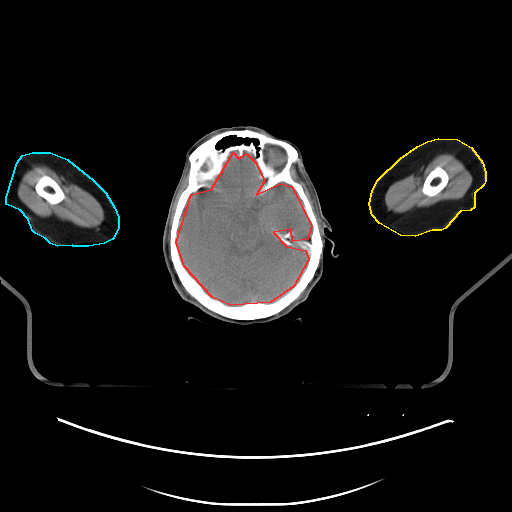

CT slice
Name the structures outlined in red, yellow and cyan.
red: brain; yellow: left arm; cyan: right arm.
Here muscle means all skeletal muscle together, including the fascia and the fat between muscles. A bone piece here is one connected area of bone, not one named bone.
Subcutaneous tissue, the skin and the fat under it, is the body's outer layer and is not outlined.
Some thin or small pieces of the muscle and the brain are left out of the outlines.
{"brain":[[[233,152],[238,158],[246,153],[255,162],[264,181],[256,194],[280,183],[291,186],[311,225],[307,239],[292,241],[291,229],[273,232],[286,246],[305,250],[308,259],[293,286],[270,302],[230,305],[212,297],[184,266],[176,242],[191,194],[211,189]]],"left_arm":[[[438,138],[457,139],[471,147],[482,162],[485,172],[485,181],[483,185],[474,193],[474,207],[470,210],[460,211],[445,228],[441,230],[432,230],[415,236],[400,235],[379,223],[372,215],[369,204],[372,190],[378,179],[400,158],[417,146],[427,141]]],"right_arm":[[[32,152],[50,152],[67,159],[93,180],[105,192],[114,207],[118,217],[118,228],[112,239],[104,243],[88,246],[73,246],[72,245],[57,246],[50,243],[45,238],[35,233],[32,230],[28,219],[20,210],[6,204],[6,197],[17,162],[22,155]]],"muscle":[{"outer":[[33,165],[45,165],[58,174],[62,175],[68,181],[78,185],[90,193],[96,198],[102,206],[105,215],[104,221],[97,228],[85,228],[77,226],[69,221],[62,220],[54,215],[48,217],[41,217],[35,214],[19,199],[17,195],[17,187],[22,175]],"hole":[[43,175],[47,175],[51,178],[52,178],[59,185],[59,186],[63,191],[65,197],[60,202],[56,204],[51,204],[49,203],[43,197],[39,195],[36,192],[35,190],[35,185],[38,179],[41,176]]},{"outer":[[441,153],[453,154],[470,171],[473,179],[465,195],[462,198],[457,200],[440,201],[428,207],[414,207],[411,210],[404,213],[394,213],[391,211],[388,211],[384,203],[384,196],[388,187],[393,182],[412,173],[416,173],[422,165],[427,164],[436,155]],"hole":[[436,166],[440,166],[446,171],[446,172],[448,175],[448,181],[447,182],[446,185],[443,188],[443,189],[442,190],[441,190],[438,193],[437,193],[433,196],[427,196],[426,195],[425,195],[422,192],[422,187],[423,186],[424,181],[427,177],[428,174]]},[[294,164],[299,164],[301,172],[304,176],[305,180],[308,183],[309,188],[313,195],[313,197],[315,199],[316,205],[318,209],[318,213],[323,223],[321,231],[322,238],[319,225],[315,213],[313,210],[313,207],[306,195],[302,185],[293,178],[292,167]],[[188,162],[187,184],[185,188],[179,194],[176,201],[176,204],[174,208],[174,211],[172,215],[172,218],[169,227],[169,241],[168,244],[168,233],[169,232],[169,222],[170,221],[171,210],[172,209],[173,202],[175,199],[175,196],[185,174],[185,171]]],"bones":[{"outer":[[245,129],[266,134],[295,148],[300,163],[292,165],[291,175],[301,185],[312,207],[323,242],[317,269],[298,297],[281,311],[257,319],[234,319],[223,316],[191,296],[174,269],[169,244],[170,227],[177,201],[188,184],[188,156],[200,144],[216,134]],"holes":[[[233,152],[238,158],[246,153],[255,162],[264,181],[256,194],[280,183],[291,186],[311,225],[307,239],[292,241],[291,229],[273,232],[286,246],[305,250],[308,259],[293,286],[270,302],[230,305],[212,297],[184,266],[176,242],[191,194],[211,189]],[[266,145],[276,145],[277,146],[280,147],[282,149],[283,149],[283,150],[285,153],[285,163],[283,165],[283,166],[280,169],[276,169],[270,163],[267,162],[265,160],[265,155],[264,154],[264,150],[265,149],[265,147],[266,146]],[[230,136],[234,136],[237,138],[239,138],[240,139],[243,139],[244,140],[245,139],[247,139],[249,140],[249,142],[248,143],[245,143],[244,142],[242,142],[239,144],[230,144],[225,147],[218,147],[218,144],[222,140]]]},[[43,175],[47,175],[51,178],[52,178],[59,185],[59,186],[63,191],[65,197],[60,202],[56,204],[51,204],[49,203],[43,197],[39,195],[36,192],[35,190],[35,185],[38,179],[41,176]],[[436,166],[440,166],[446,171],[446,172],[448,175],[448,181],[447,182],[446,185],[443,188],[443,189],[442,190],[441,190],[438,193],[437,193],[433,196],[427,196],[426,195],[425,195],[422,192],[422,187],[423,186],[424,181],[427,177],[428,174]]],"head":[{"outer":[[239,125],[266,129],[299,148],[323,215],[332,229],[326,228],[325,233],[334,244],[332,251],[338,255],[331,255],[333,244],[328,240],[321,277],[306,300],[283,317],[248,325],[221,321],[182,299],[172,283],[162,251],[168,207],[186,151],[212,130]],"hole":[[230,136],[234,136],[237,138],[239,138],[240,139],[243,139],[244,140],[245,139],[247,139],[249,140],[249,142],[248,143],[245,143],[244,142],[242,142],[239,144],[230,144],[225,147],[218,147],[218,144],[222,140]]}]}